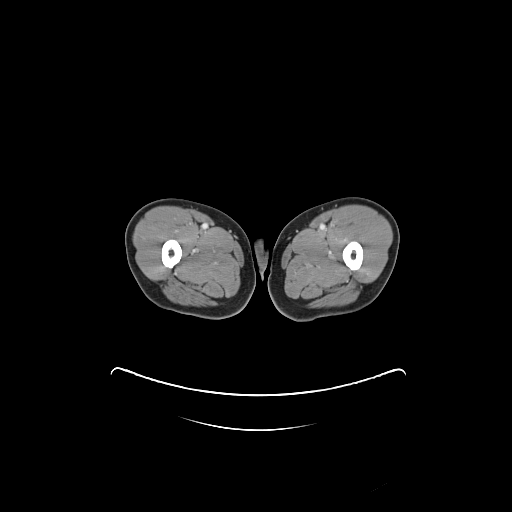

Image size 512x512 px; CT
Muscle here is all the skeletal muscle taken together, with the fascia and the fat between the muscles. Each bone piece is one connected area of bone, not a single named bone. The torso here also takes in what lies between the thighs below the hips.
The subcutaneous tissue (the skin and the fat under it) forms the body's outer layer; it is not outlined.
{"right_leg":[[[167,197],[183,198],[213,206],[232,217],[246,233],[251,242],[256,271],[256,283],[249,301],[245,307],[236,315],[226,319],[209,320],[165,310],[152,303],[143,294],[138,286],[129,269],[126,259],[124,244],[125,229],[132,215],[140,207],[153,200]]],"torso":[[[260,235],[264,236],[267,240],[268,248],[269,249],[271,249],[272,248],[269,269],[269,266],[268,265],[266,267],[264,278],[262,281],[261,281],[257,276],[257,271],[256,270],[254,254],[253,253],[253,248],[252,247],[252,242],[253,240],[255,237]]],"left_leg":[[[345,196],[360,196],[371,199],[385,207],[395,218],[399,228],[400,239],[393,271],[376,299],[359,311],[321,318],[309,322],[292,321],[284,317],[276,309],[268,293],[267,278],[271,265],[273,246],[277,236],[282,228],[292,218],[304,210],[326,201]]],"muscle":[{"outer":[[159,205],[176,205],[203,210],[231,231],[239,243],[244,257],[243,281],[240,291],[233,301],[222,306],[207,306],[206,307],[181,305],[174,303],[170,301],[162,293],[159,288],[144,275],[135,261],[132,249],[132,234],[135,225],[140,218],[149,209]],"hole":[[171,238],[173,239],[176,239],[179,242],[181,246],[181,248],[182,249],[182,255],[181,256],[181,258],[180,260],[172,268],[169,268],[168,267],[166,267],[163,264],[161,260],[161,247],[163,243],[166,240],[168,239],[170,239]]},{"outer":[[345,204],[362,204],[369,206],[387,219],[393,232],[393,239],[387,264],[379,276],[360,298],[351,303],[341,306],[319,308],[306,308],[296,304],[285,294],[283,288],[284,283],[281,267],[281,257],[283,251],[290,242],[294,233],[314,217],[324,211]],"hole":[[352,240],[355,240],[357,241],[362,246],[362,248],[363,249],[363,259],[362,260],[362,262],[361,263],[361,265],[360,267],[357,270],[352,270],[350,269],[344,263],[343,261],[343,259],[342,258],[342,251],[343,250],[343,248],[349,241],[351,241]]}],"bones":[[[352,240],[355,240],[357,241],[362,246],[362,248],[363,249],[363,259],[362,260],[362,262],[361,263],[361,265],[360,267],[357,270],[352,270],[350,269],[344,263],[343,261],[343,259],[342,258],[342,251],[343,250],[343,248],[349,241],[351,241]],[[171,238],[173,239],[176,239],[179,242],[181,246],[181,248],[182,249],[182,255],[181,256],[181,258],[180,260],[172,268],[169,268],[168,267],[166,267],[163,264],[161,260],[161,247],[163,243],[166,240],[168,239],[170,239]]]}